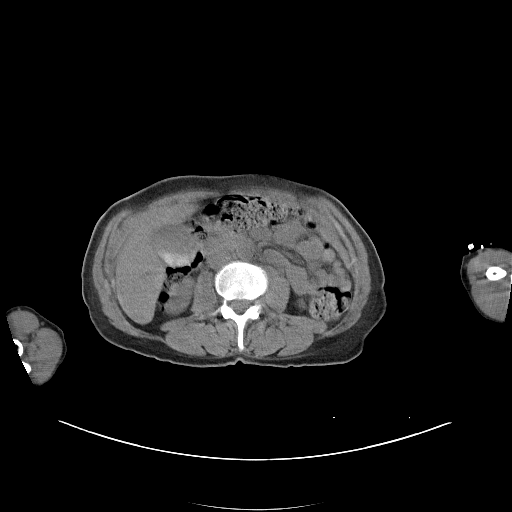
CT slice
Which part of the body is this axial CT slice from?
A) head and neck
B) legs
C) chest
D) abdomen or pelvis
D) abdomen or pelvis
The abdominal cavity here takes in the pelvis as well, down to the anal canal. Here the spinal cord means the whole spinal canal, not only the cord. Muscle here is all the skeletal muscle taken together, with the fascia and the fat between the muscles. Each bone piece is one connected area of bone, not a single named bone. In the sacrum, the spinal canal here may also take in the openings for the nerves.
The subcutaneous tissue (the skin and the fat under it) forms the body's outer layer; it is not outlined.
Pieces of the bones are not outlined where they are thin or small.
{"right_arm":[[[18,304],[24,304],[32,307],[46,318],[58,325],[64,333],[64,337],[67,345],[67,351],[65,358],[51,379],[40,386],[34,385],[30,379],[22,360],[18,354],[19,352],[18,347],[14,343],[10,333],[8,321],[6,319],[6,310],[9,307]]],"left_arm":[[[490,243],[492,243],[494,246],[501,246],[509,250],[511,250],[511,289],[508,292],[507,309],[504,321],[502,323],[497,323],[485,319],[478,313],[463,287],[460,277],[460,265],[461,264],[462,256],[470,250],[478,249],[481,246],[485,247],[488,246]]],"abdominal_cavity":[[[226,192],[275,198],[316,216],[353,280],[352,297],[341,317],[328,321],[286,313],[288,280],[271,265],[264,268],[236,259],[214,275],[207,270],[198,275],[191,314],[164,321],[155,331],[142,329],[126,318],[114,295],[113,260],[128,227],[160,206]]],"spinal_cord":[[[232,300],[247,300],[248,301],[249,301],[249,302],[250,303],[250,304],[249,305],[249,306],[242,313],[237,313],[229,305],[229,302],[230,301],[231,301]]],"bones":[{"outer":[[236,260],[261,266],[266,271],[268,278],[267,288],[258,298],[261,313],[257,319],[249,319],[245,324],[243,330],[244,348],[241,351],[237,346],[235,322],[230,318],[223,318],[219,313],[209,314],[222,302],[222,298],[214,286],[214,276],[222,266]],"hole":[[232,300],[247,300],[248,301],[249,301],[249,302],[250,303],[250,304],[249,305],[249,306],[242,313],[237,313],[229,305],[229,302],[230,301],[231,301]]},[[492,265],[497,265],[498,266],[499,266],[500,267],[501,267],[502,268],[503,268],[507,272],[507,274],[504,277],[503,277],[502,278],[501,278],[498,280],[489,280],[486,277],[486,276],[485,275],[485,271],[487,269],[487,268],[489,266],[491,266]],[[13,339],[16,339],[18,341],[19,341],[21,343],[21,344],[22,345],[22,347],[23,348],[23,350],[22,351],[22,352],[23,353],[23,354],[22,354],[20,356],[18,354],[18,353],[19,352],[18,351],[18,347],[14,343],[14,341],[13,340]]],"muscle":[{"outer":[[237,185],[321,196],[339,209],[360,236],[368,257],[371,289],[357,322],[343,332],[314,342],[304,355],[262,359],[242,353],[219,358],[192,356],[112,325],[101,310],[91,272],[96,248],[109,220],[126,207],[143,206],[169,193],[190,188],[226,190]],"hole":[[226,192],[275,198],[316,216],[353,280],[341,317],[286,313],[290,284],[266,265],[261,313],[246,322],[241,351],[235,322],[209,314],[222,298],[207,270],[197,277],[191,314],[164,321],[155,331],[126,318],[114,295],[113,260],[128,227],[160,206]]},[[16,310],[25,310],[35,315],[41,323],[41,326],[55,331],[61,341],[62,349],[60,357],[51,373],[40,383],[35,382],[28,375],[32,370],[32,367],[27,361],[20,358],[24,354],[23,345],[16,338],[12,338],[10,333],[6,315],[9,312]],{"outer":[[488,249],[502,250],[511,254],[511,273],[508,275],[509,282],[511,284],[511,289],[508,292],[507,299],[505,302],[505,305],[502,311],[502,315],[500,318],[491,317],[484,313],[480,309],[472,295],[471,285],[467,275],[467,263],[469,260],[479,253]],"hole":[[492,265],[497,265],[498,266],[499,266],[500,267],[501,267],[502,268],[503,268],[507,272],[507,274],[504,277],[503,277],[502,278],[501,278],[498,280],[489,280],[486,277],[486,276],[485,275],[485,271],[487,269],[487,268],[489,266],[491,266]]}],"torso":[[[236,173],[267,173],[319,186],[339,199],[371,238],[384,271],[387,306],[367,336],[362,352],[354,359],[340,364],[298,367],[240,361],[218,367],[191,367],[115,346],[102,338],[93,326],[82,299],[80,274],[88,241],[102,213],[118,199],[166,177]]]}